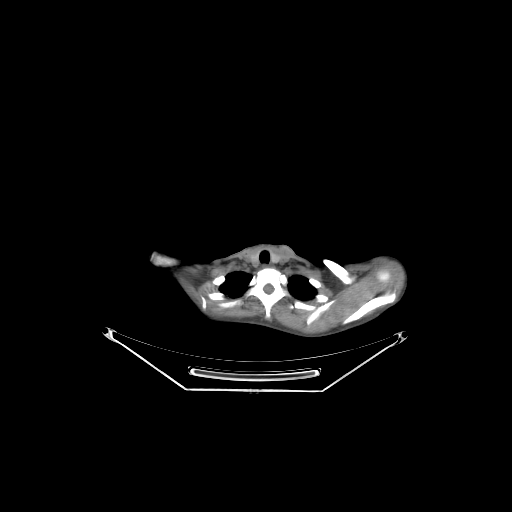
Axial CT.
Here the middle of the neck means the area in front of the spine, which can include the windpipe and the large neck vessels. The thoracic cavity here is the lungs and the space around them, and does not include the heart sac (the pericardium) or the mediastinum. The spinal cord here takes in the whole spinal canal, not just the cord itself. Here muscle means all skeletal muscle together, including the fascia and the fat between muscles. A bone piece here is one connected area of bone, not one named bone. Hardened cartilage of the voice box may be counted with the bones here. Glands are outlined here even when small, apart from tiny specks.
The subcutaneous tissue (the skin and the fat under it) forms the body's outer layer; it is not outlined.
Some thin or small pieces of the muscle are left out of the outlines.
The thoracic cavity appears in 2 outlined pieces: piece 1: (234, 271) (243, 271) (247, 273) (250, 273) (252, 275) (247, 284) (247, 287) (242, 293) (236, 296) (230, 296) (229, 295) (226, 295) (222, 291) (221, 291) (220, 290) (220, 286) (226, 280) (226, 276) (228, 274); piece 2: (292, 275) (300, 275) (301, 276) (303, 276) (305, 277) (308, 280) (308, 282) (309, 284) (311, 285) (315, 289) (316, 291) (316, 293) (312, 298) (310, 299) (307, 299) (306, 300) (301, 300) (295, 297) (290, 292) (288, 288) (288, 283) (289, 282) (288, 277) (290, 277). The spinal cord is outlined by (267, 284) (270, 284) (273, 287) (273, 290) (270, 293) (267, 293) (266, 292) (265, 292) (264, 291) (264, 286) (265, 285) (266, 285). The middle of the neck is outlined by (263, 249) (269, 250) (270, 252) (270, 260) (273, 263) (279, 262) (282, 259) (282, 257) (283, 258) (283, 265) (280, 265) (279, 266) (264, 266) (258, 269) (249, 269) (244, 267) (244, 264) (247, 259) (252, 264) (255, 265) (258, 262) (259, 252) (260, 250). The bones appear in 9 outlined pieces: piece 1: (264, 267) (274, 267) (283, 273) (287, 277) (288, 280) (287, 288) (291, 294) (290, 297) (287, 296) (282, 297) (271, 307) (269, 319) (265, 319) (264, 306) (256, 296) (254, 295) (251, 295) (247, 297) (243, 296) (243, 293) (248, 287) (248, 284) (253, 274) (259, 269), around a hole outlined by (267, 284) (270, 284) (273, 287) (273, 290) (270, 293) (267, 293) (266, 292) (265, 292) (264, 291) (264, 286) (265, 285) (266, 285); piece 2: (381, 269) (387, 270) (390, 273) (391, 284) (395, 289) (396, 293) (396, 299) (395, 301) (379, 306) (368, 312) (359, 319) (354, 320) (346, 324) (342, 324) (342, 321) (349, 314) (354, 311) (362, 303) (373, 297) (379, 292) (380, 285) (375, 278) (375, 274) (378, 270); piece 3: (317, 293) (324, 294) (327, 296) (329, 300) (334, 300) (334, 302) (316, 319) (308, 325) (306, 320) (310, 312) (300, 308) (291, 309) (289, 307) (289, 305) (295, 299) (298, 299) (301, 301) (304, 301) (308, 304) (318, 306) (321, 303) (317, 302) (314, 299) (314, 297); piece 4: (324, 259) (328, 259) (329, 260) (332, 260) (334, 262) (336, 262) (338, 264) (344, 267) (352, 276) (354, 276) (355, 277) (355, 279) (353, 281) (353, 282) (350, 284) (345, 284) (338, 277) (337, 277) (328, 268) (327, 266) (326, 266) (324, 264) (323, 262) (323, 260); piece 5: (215, 291) (220, 291) (222, 292) (225, 295) (225, 299) (226, 300) (241, 298) (242, 299) (242, 303) (240, 305) (235, 305) (232, 307) (227, 307) (226, 308) (221, 307) (218, 305) (219, 302) (218, 300) (212, 300) (207, 297) (207, 294) (208, 293) (214, 292); piece 6: (152, 253) (158, 253) (162, 255) (166, 255) (167, 256) (169, 256) (170, 257) (172, 257) (174, 258) (176, 260) (176, 261) (175, 263) (174, 263) (172, 265) (168, 265) (167, 266) (156, 266) (154, 265) (154, 264) (150, 259) (150, 256); piece 7: (220, 275) (223, 275) (224, 276) (225, 276) (225, 280) (219, 286) (217, 286) (216, 285) (215, 285) (214, 284) (213, 284) (211, 282) (212, 281) (212, 280) (214, 278) (215, 278) (216, 277) (217, 277) (218, 276) (219, 276); piece 8: (311, 277) (312, 278) (313, 278) (314, 279) (316, 279) (317, 280) (318, 280) (321, 283) (321, 286) (320, 287) (319, 287) (318, 288) (315, 288) (311, 284) (310, 284) (310, 283) (309, 282) (309, 280) (308, 279) (309, 278) (310, 278); piece 9: (202, 296) (203, 296) (204, 297) (205, 297) (206, 298) (206, 307) (205, 308) (205, 310) (203, 310) (202, 309) (202, 308) (201, 307) (201, 297). The thyroid glands appear in 2 outlined pieces: piece 1: (258, 250) (259, 250) (259, 251) (258, 252) (258, 258) (257, 259) (257, 262) (255, 264) (254, 264) (253, 263) (252, 263) (247, 258) (250, 255) (252, 255) (253, 254) (254, 254); piece 2: (270, 250) (272, 252) (273, 252) (275, 254) (276, 254) (277, 255) (278, 255) (279, 256) (280, 256) (281, 257) (281, 259) (279, 261) (278, 261) (277, 262) (273, 262) (271, 260) (271, 252) (270, 251). The muscle appears in 4 outlined pieces: piece 1: (258, 246) (286, 247) (311, 268) (324, 265) (345, 285) (352, 284) (356, 279) (345, 267) (367, 264) (381, 258) (390, 259) (402, 269) (403, 286) (397, 297) (391, 273) (384, 268) (378, 269) (374, 274) (379, 285) (378, 292) (349, 313) (341, 321) (342, 325) (321, 332) (302, 332) (266, 320) (271, 318) (271, 309) (278, 301) (292, 295) (296, 298) (288, 307) (309, 312) (305, 320) (309, 326) (335, 300) (317, 292) (316, 289) (322, 286) (318, 279) (300, 274) (287, 276) (275, 267) (283, 266) (284, 258) (263, 248) (250, 254) (243, 264) (246, 269) (257, 270) (254, 273) (234, 270) (214, 277) (210, 282) (219, 290) (208, 292) (206, 297) (202, 295) (200, 306) (178, 281) (176, 273) (185, 266) (208, 268) (225, 264); piece 2: (241, 294) (244, 298) (254, 296) (259, 300) (264, 309) (264, 319) (257, 316) (239, 318) (220, 317) (211, 315) (206, 311) (207, 298) (212, 301) (218, 301) (217, 305) (221, 308) (226, 309) (240, 306) (243, 303) (243, 299) (241, 297) (226, 299) (226, 296) (236, 297); piece 3: (313, 298) (313, 299) (317, 303) (320, 303) (320, 304) (319, 304) (318, 305) (316, 305) (315, 304) (312, 304) (311, 303) (308, 303) (307, 302) (306, 302) (305, 301) (306, 301) (307, 300) (310, 300) (311, 299) (312, 299); piece 4: (382, 306) (384, 306) (383, 307) (382, 307) (381, 308) (378, 309) (376, 311) (375, 311) (372, 314) (371, 314) (368, 316) (366, 316) (365, 317) (363, 317) (368, 313) (369, 313) (370, 312) (373, 311) (375, 309) (376, 309) (379, 307) (381, 307). The torso is outlined by (259, 242) (287, 244) (298, 255) (314, 263) (324, 259) (354, 262) (388, 254) (405, 266) (407, 289) (397, 304) (377, 318) (323, 337) (306, 338) (259, 325) (210, 321) (192, 307) (173, 283) (162, 277) (160, 269) (150, 267) (149, 250) (159, 248) (183, 261) (209, 262).